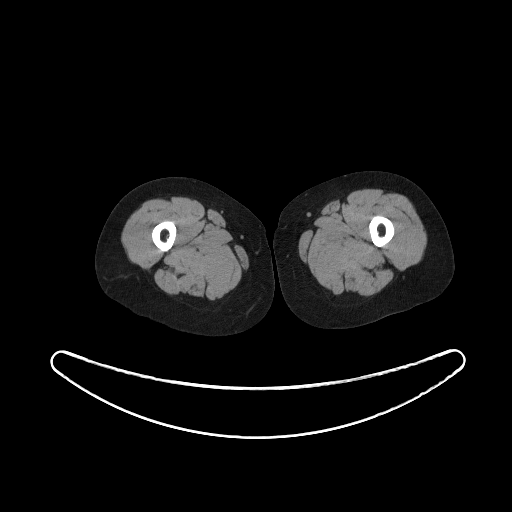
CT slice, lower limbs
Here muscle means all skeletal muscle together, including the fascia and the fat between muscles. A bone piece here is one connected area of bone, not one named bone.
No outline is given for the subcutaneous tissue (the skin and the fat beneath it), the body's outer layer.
The right leg is outlined by 165,176 186,176 205,181 243,204 263,224 272,255 275,287 273,300 267,313 252,327 239,333 219,337 206,337 184,333 133,313 109,298 102,291 94,269 94,254 100,232 108,215 117,202 130,190 146,181. The bones appear in 2 outlined pieces: piece 1: 374,215 382,215 388,218 390,220 391,220 394,226 394,234 392,238 383,247 378,247 376,246 372,242 371,240 371,238 370,237 370,234 369,233 369,229 368,228 368,225 369,224 369,222 371,218; piece 2: 163,220 171,220 173,221 176,227 176,236 175,237 174,242 172,246 167,251 161,251 154,244 152,240 152,238 151,237 151,232 152,231 152,229 153,227 155,225 156,225 158,223 159,223. The left leg is outlined by 361,170 382,170 397,173 413,181 428,195 443,218 449,233 455,261 454,274 449,285 440,295 406,311 357,327 345,329 324,329 315,327 296,317 284,301 275,260 272,254 274,231 281,211 298,194 331,178. The muscle appears in 2 outlined pieces: piece 1: 358,187 390,187 400,191 406,196 414,206 427,234 425,254 423,260 418,265 404,271 401,274 402,275 381,292 361,305 331,305 326,300 312,276 301,264 297,248 297,235 305,222 321,207 329,196 340,194; inner edge: 374,215 382,215 388,218 390,220 391,220 394,226 394,234 392,238 383,247 378,247 376,246 372,242 371,240 371,238 370,237 370,234 369,233 369,229 368,228 368,225 369,224 369,222 371,218; piece 2: 168,193 188,194 213,203 232,218 248,245 251,254 251,264 247,272 243,276 237,289 219,305 212,309 196,309 185,303 170,299 162,295 152,283 149,276 126,257 126,253 120,239 125,222 142,201 153,195 with a hole at 163,220 171,220 173,221 176,227 176,236 175,237 174,242 172,246 167,251 161,251 154,244 152,240 152,238 151,237 151,232 152,231 152,229 153,227 155,225 156,225 158,223 159,223.